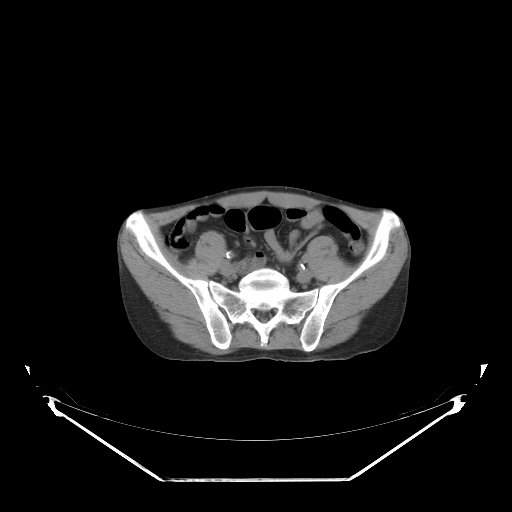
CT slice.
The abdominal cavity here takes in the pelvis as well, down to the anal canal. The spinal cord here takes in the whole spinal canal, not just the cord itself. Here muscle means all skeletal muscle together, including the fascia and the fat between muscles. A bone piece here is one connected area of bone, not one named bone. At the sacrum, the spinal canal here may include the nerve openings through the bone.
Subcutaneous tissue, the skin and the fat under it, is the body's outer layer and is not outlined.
{"abdominal_cavity":[[[265,199],[284,208],[343,209],[366,232],[363,256],[345,260],[338,241],[321,234],[303,254],[317,287],[293,290],[270,266],[246,273],[236,289],[210,279],[225,261],[224,235],[202,232],[193,256],[182,262],[165,245],[162,228],[203,204],[250,207]]],"torso":[[[259,184],[295,186],[359,204],[386,206],[403,220],[411,244],[408,296],[401,325],[390,342],[375,351],[346,360],[300,364],[271,359],[242,364],[171,360],[154,354],[142,344],[128,322],[120,294],[116,238],[124,218],[141,207],[171,204],[232,187]]],"bones":[{"outer":[[384,209],[401,225],[384,256],[336,295],[312,351],[301,345],[302,320],[280,322],[263,347],[248,322],[230,322],[229,346],[216,347],[192,292],[145,254],[124,225],[142,211],[166,259],[189,278],[236,290],[246,274],[270,267],[299,292],[348,277]],"hole":[[251,308],[253,308],[256,310],[258,310],[259,311],[261,311],[262,312],[266,312],[268,310],[270,310],[273,308],[276,308],[277,309],[277,312],[267,321],[266,321],[265,322],[262,322],[261,321],[260,321],[253,314],[253,313],[250,310],[250,309]]}],"muscle":[[[124,226],[145,255],[191,292],[210,341],[216,348],[226,350],[230,346],[233,336],[230,323],[248,323],[257,332],[263,348],[271,331],[280,323],[297,325],[302,321],[299,333],[302,350],[243,347],[228,353],[213,354],[175,338],[123,260],[120,239]],[[261,190],[302,194],[366,211],[382,210],[371,244],[364,256],[368,244],[366,230],[360,226],[347,211],[333,204],[319,203],[309,207],[284,207],[276,205],[265,198],[250,206],[227,206],[218,202],[208,202],[197,205],[161,228],[164,245],[182,263],[187,262],[194,256],[196,242],[202,233],[212,230],[223,235],[226,249],[221,267],[210,276],[209,279],[193,278],[179,272],[167,259],[143,211],[165,211],[231,194]],[[401,226],[403,228],[407,242],[407,256],[393,285],[385,295],[373,305],[362,320],[359,329],[350,338],[328,348],[317,351],[314,350],[320,341],[324,331],[326,318],[337,295],[351,282],[359,277],[363,272],[378,263],[385,256],[389,246],[392,231]],[[321,235],[331,235],[337,241],[338,243],[338,255],[345,261],[354,264],[359,262],[363,258],[357,267],[345,278],[336,282],[324,283],[319,286],[317,283],[317,280],[312,276],[312,274],[308,266],[308,263],[304,258],[304,254],[309,243],[314,238]]],"spinal_cord":[[[251,308],[253,308],[256,310],[258,310],[259,311],[261,311],[262,312],[266,312],[268,310],[270,310],[273,308],[276,308],[277,309],[277,312],[267,321],[266,321],[265,322],[262,322],[261,321],[260,321],[253,314],[253,313],[250,310],[250,309]]]}